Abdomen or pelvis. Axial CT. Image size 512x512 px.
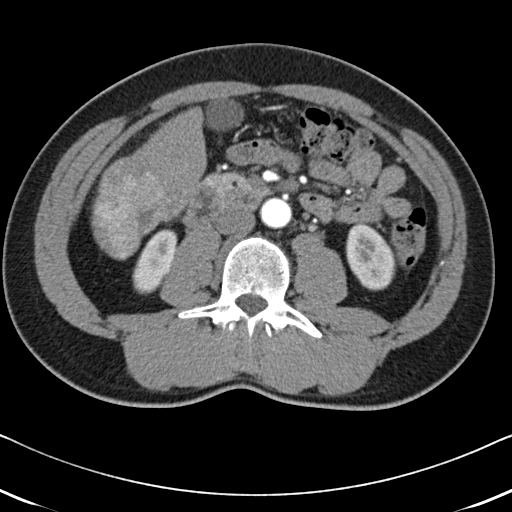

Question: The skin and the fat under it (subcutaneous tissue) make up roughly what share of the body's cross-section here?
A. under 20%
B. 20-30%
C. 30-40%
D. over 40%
Answer: B. 20-30%
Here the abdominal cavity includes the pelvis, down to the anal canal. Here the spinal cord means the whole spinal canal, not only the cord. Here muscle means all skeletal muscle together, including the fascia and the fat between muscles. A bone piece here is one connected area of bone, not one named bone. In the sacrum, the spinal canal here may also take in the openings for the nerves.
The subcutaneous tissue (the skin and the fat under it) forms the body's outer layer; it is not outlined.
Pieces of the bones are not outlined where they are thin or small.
The bones are outlined by [[250,236],[274,242],[289,258],[291,277],[284,298],[316,326],[322,333],[320,338],[289,324],[278,332],[273,329],[269,336],[261,322],[249,339],[241,320],[230,331],[215,325],[208,316],[178,317],[181,310],[212,303],[219,297],[227,253],[238,241]], around a hole outlined by [[245,294],[251,294],[252,295],[256,295],[257,296],[259,296],[260,297],[261,297],[266,301],[266,302],[267,303],[266,306],[263,309],[256,312],[254,314],[253,314],[252,315],[249,314],[243,309],[242,309],[236,303],[236,299],[241,295],[244,295]]. The muscle is outlined by [[218,80],[241,81],[260,86],[311,84],[349,93],[391,121],[427,139],[445,159],[456,178],[466,211],[467,232],[466,258],[458,296],[445,319],[435,329],[419,339],[392,349],[367,382],[355,391],[332,396],[291,394],[241,375],[182,392],[151,390],[128,374],[123,348],[119,342],[88,333],[72,325],[58,313],[55,305],[42,290],[34,262],[34,223],[44,190],[67,149],[86,131],[103,121],[127,115],[177,88]], around a hole outlined by [[256,92],[342,111],[423,183],[439,247],[415,303],[394,321],[339,305],[340,255],[304,232],[284,298],[320,338],[179,318],[220,295],[225,253],[209,227],[175,248],[160,291],[170,307],[103,313],[68,251],[96,176],[164,113]]. The torso is outlined by [[245,42],[308,48],[381,78],[442,127],[478,181],[495,255],[490,313],[459,367],[411,401],[342,410],[285,403],[237,388],[175,407],[120,405],[56,377],[32,355],[12,324],[1,273],[6,222],[28,167],[50,136],[90,98],[146,66],[194,49]]. The abdominal cavity is outlined by [[256,92],[342,111],[385,139],[423,183],[439,247],[415,303],[394,321],[339,305],[348,294],[344,265],[312,233],[291,240],[291,258],[261,235],[238,240],[225,256],[209,227],[175,248],[160,291],[170,307],[103,313],[68,251],[96,176],[164,113]]. The spinal cord is outlined by [[245,294],[251,294],[252,295],[256,295],[257,296],[259,296],[260,297],[261,297],[266,301],[266,302],[267,303],[266,306],[263,309],[256,312],[254,314],[253,314],[252,315],[249,314],[243,309],[242,309],[236,303],[236,299],[241,295],[244,295]].